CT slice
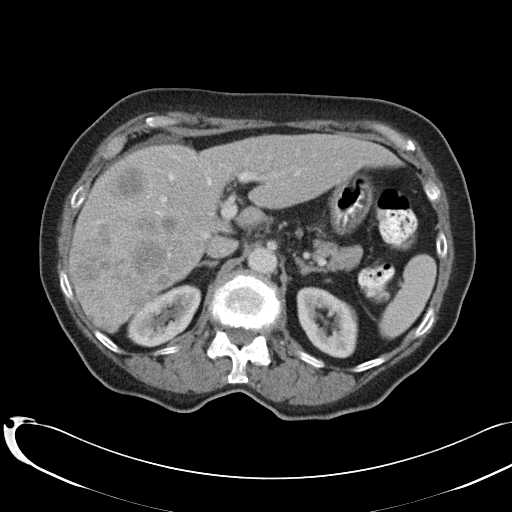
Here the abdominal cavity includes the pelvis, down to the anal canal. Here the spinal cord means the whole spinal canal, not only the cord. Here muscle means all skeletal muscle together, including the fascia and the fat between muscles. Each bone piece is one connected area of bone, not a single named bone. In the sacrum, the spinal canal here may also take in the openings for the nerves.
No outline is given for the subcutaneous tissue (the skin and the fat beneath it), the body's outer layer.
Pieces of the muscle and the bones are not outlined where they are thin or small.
The abdominal cavity is outlined by 276 126; 376 135; 418 165; 437 216; 439 258; 418 325; 381 355; 352 366; 330 364; 290 335; 277 285; 237 269; 214 287; 195 329; 172 345; 130 351; 96 329; 74 296; 68 252; 74 218; 100 170; 128 140; 154 129; 195 137. The torso is outlined by 152 87; 373 97; 411 108; 441 131; 460 165; 469 193; 475 222; 475 267; 449 336; 378 404; 327 420; 290 421; 248 395; 233 392; 194 411; 178 412; 114 392; 86 367; 61 328; 40 280; 42 210; 54 176; 77 137; 116 101. The bones appear in 11 outlined pieces: piece 1: 237 270; 245 270; 273 282; 282 308; 279 319; 264 333; 270 362; 268 365; 257 365; 249 360; 245 366; 246 383; 228 382; 227 376; 232 369; 232 360; 228 355; 213 359; 206 353; 216 329; 220 327; 209 310; 212 294; 220 282 with a hole at 226 327; 231 327; 232 328; 243 328; 246 330; 249 330; 250 329; 251 330; 254 330; 256 331; 257 332; 257 334; 256 336; 255 336; 248 343; 246 344; 243 344; 242 345; 238 345; 232 342; 230 340; 225 330; piece 2: 376 124; 382 124; 383 125; 388 126; 390 128; 397 132; 405 139; 410 139; 413 142; 415 146; 415 149; 413 151; 411 151; 410 150; 405 150; 403 148; 398 146; 387 136; 381 133; 379 131; 376 130; 374 128; 374 125; piece 3: 429 307; 432 307; 434 310; 434 320; 433 321; 431 326; 424 333; 423 333; 418 337; 414 337; 414 332; 415 331; 415 329; 419 325; 419 324; 422 321; 422 320; 423 319; 423 318; 424 317; 424 316; 425 315; 425 314; piece 4: 117 136; 120 136; 122 137; 123 139; 123 142; 124 143; 121 149; 120 149; 119 151; 114 156; 113 156; 111 158; 109 158; 108 159; 106 159; 104 158; 102 155; 102 152; 105 149; 108 143; piece 5: 379 356; 382 356; 384 357; 385 358; 385 361; 384 361; 382 363; 376 366; 374 366; 371 368; 366 369; 360 372; 354 372; 350 370; 350 368; 351 368; 353 366; 355 366; 362 362; 364 362; 365 361; 367 361; 368 360; 373 359; piece 6: 150 116; 164 116; 165 117; 168 117; 169 118; 171 118; 173 119; 175 121; 175 122; 174 123; 168 123; 165 125; 162 125; 161 126; 159 126; 155 128; 152 128; 148 125; 146 125; 145 123; 145 118; 147 117; 149 117; piece 7: 62 270; 63 270; 66 273; 67 275; 67 277; 68 278; 68 280; 71 286; 71 289; 73 293; 73 299; 70 299; 68 297; 67 297; 63 293; 60 287; 60 284; 59 283; 59 273; 60 271; piece 8: 95 330; 98 330; 100 332; 101 332; 103 334; 104 334; 107 337; 108 337; 114 343; 115 343; 121 349; 121 352; 120 353; 117 353; 116 352; 114 352; 112 350; 109 349; 106 346; 105 346; 95 336; 95 335; 94 334; 94 331; piece 9: 428 180; 431 180; 438 187; 438 188; 440 191; 440 194; 439 195; 439 198; 437 200; 436 200; 435 201; 431 201; 428 198; 428 197; 427 196; 427 195; 425 192; 425 190; 424 189; 424 185; 425 184; 425 183; piece 10: 297 350; 301 350; 302 351; 304 351; 306 353; 307 353; 308 354; 309 354; 320 360; 322 360; 324 363; 324 366; 323 367; 320 367; 319 368; 318 368; 317 367; 315 367; 311 364; 310 364; 309 363; 302 360; 296 354; 296 351; piece 11: 81 185; 82 185; 83 186; 83 189; 85 192; 85 197; 84 198; 83 201; 81 203; 81 204; 77 208; 72 208; 70 205; 70 200; 71 199; 71 197; 72 196; 73 193; 75 191; 75 190; 79 186; 80 186. The muscle appears in 2 outlined pieces: piece 1: 150 111; 183 111; 274 122; 371 119; 386 122; 414 138; 443 184; 449 205; 454 248; 452 269; 438 318; 421 344; 353 392; 329 403; 294 405; 285 400; 277 402; 246 384; 249 381; 246 373; 249 361; 257 366; 268 366; 271 362; 265 333; 280 319; 282 305; 286 315; 285 327; 303 350; 295 351; 302 361; 318 369; 325 366; 324 362; 343 368; 351 367; 349 370; 354 373; 382 364; 386 361; 383 354; 396 348; 414 329; 413 337; 418 338; 435 320; 435 310; 430 302; 438 281; 440 258; 445 258; 448 252; 445 234; 436 229; 438 216; 432 204; 440 198; 441 191; 431 179; 423 183; 419 165; 411 157; 384 138; 364 131; 328 131; 276 125; 194 136; 156 128; 174 124; 176 121; 171 117; 147 116; 144 123; 153 129; 125 142; 122 136; 115 136; 101 152; 104 159; 111 159; 94 176; 87 192; 81 184; 72 193; 69 205; 77 211; 69 239; 67 274; 62 269; 58 277; 57 238; 66 196; 98 145; 129 119; inner edge: 376 124; 382 124; 383 125; 388 126; 390 128; 397 132; 405 139; 410 139; 413 142; 415 146; 415 149; 413 151; 411 151; 410 150; 405 150; 403 148; 398 146; 387 136; 381 133; 379 131; 376 130; 374 128; 374 125; piece 2: 63 294; 70 300; 75 298; 95 328; 94 336; 117 354; 122 349; 156 356; 176 353; 180 345; 172 344; 195 330; 200 316; 208 310; 219 327; 205 353; 213 360; 230 358; 228 383; 203 393; 179 393; 147 385; 105 355; 81 331. The spinal cord is outlined by 226 327; 231 327; 232 328; 243 328; 246 330; 249 330; 250 329; 251 330; 254 330; 256 331; 257 332; 257 334; 256 336; 255 336; 248 343; 246 344; 243 344; 242 345; 238 345; 232 342; 230 340; 225 330.